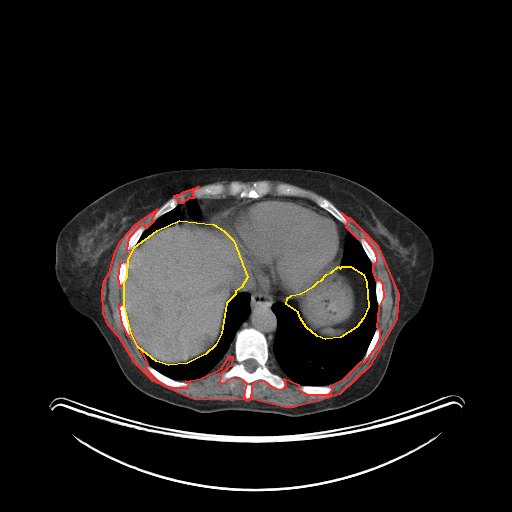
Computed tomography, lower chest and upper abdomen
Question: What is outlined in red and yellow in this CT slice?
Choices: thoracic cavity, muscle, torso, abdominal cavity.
Answer: red: muscle; yellow: abdominal cavity.
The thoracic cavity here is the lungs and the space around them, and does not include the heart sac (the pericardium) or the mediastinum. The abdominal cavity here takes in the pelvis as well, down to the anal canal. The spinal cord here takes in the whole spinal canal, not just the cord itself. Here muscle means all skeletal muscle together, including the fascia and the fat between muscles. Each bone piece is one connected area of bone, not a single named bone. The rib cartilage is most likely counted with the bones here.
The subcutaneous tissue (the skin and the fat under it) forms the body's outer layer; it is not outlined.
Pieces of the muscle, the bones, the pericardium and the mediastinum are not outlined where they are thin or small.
The muscle appears in 2 outlined pieces: piece 1: 157 209; 152 217; 153 221; 146 228; 144 225; 139 226; 128 238; 126 249; 131 250; 131 253; 127 261; 119 264; 117 278; 119 285; 123 285; 123 303; 118 307; 121 323; 126 334; 128 336; 131 334; 147 363; 145 368; 158 381; 168 387; 187 387; 189 383; 185 381; 201 378; 221 368; 229 356; 232 356; 231 365; 221 373; 219 381; 222 383; 233 377; 242 379; 246 383; 243 395; 246 400; 251 397; 253 382; 263 380; 274 388; 282 389; 286 385; 284 378; 298 384; 297 388; 306 394; 329 394; 333 389; 330 385; 344 378; 361 361; 364 362; 376 346; 380 337; 380 329; 377 327; 379 307; 384 297; 383 284; 380 280; 376 280; 373 271; 373 265; 377 261; 376 253; 365 238; 358 239; 346 227; 348 221; 342 213; 349 217; 377 245; 398 294; 396 319; 369 366; 339 394; 294 407; 284 407; 257 400; 193 399; 153 381; 134 362; 119 337; 108 325; 103 313; 102 291; 104 280; 109 273; 115 251; 121 240; 135 224; piece 2: 196 187; 199 187; 197 187; 192 191; 192 194; 194 197; 193 198; 188 198; 182 203; 180 203; 180 201; 175 196; 173 196; 174 196; 177 194; 179 194; 184 191; 186 191; 187 190; 189 190; 190 189; 192 189; 193 188; 195 188. The abdominal cavity appears in 2 outlined pieces: piece 1: 179 220; 213 224; 223 230; 233 240; 247 277; 241 287; 235 291; 235 294; 226 303; 221 333; 215 345; 205 354; 187 363; 168 365; 156 361; 138 347; 131 333; 124 305; 124 283; 127 276; 128 260; 134 247; 157 230; piece 2: 338 266; 340 268; 342 266; 350 266; 363 274; 366 282; 368 306; 363 318; 356 327; 340 337; 325 339; 317 336; 306 327; 300 318; 298 312; 286 304; 287 298; 291 295; 300 293; 313 286; 318 281; 321 280; 326 274; 331 272. The pericardium is outlined by 263 199; 285 199; 309 204; 327 213; 339 226; 341 250; 339 252; 337 266; 326 273; 313 285; 300 292; 285 296; 271 294; 263 289; 252 278; 246 276; 248 275; 234 240; 223 229; 219 228; 212 222; 212 216; 214 214; 233 205. The torso is outlined by 193 168; 301 168; 333 173; 367 187; 425 232; 434 264; 423 304; 399 333; 385 374; 369 395; 344 407; 296 417; 245 410; 206 413; 151 397; 125 377; 96 325; 75 311; 62 291; 54 267; 56 240; 75 214; 113 188; 146 175. The mediastinum appears in 3 outlined pieces: piece 1: 248 278; 252 279; 268 294; 279 297; 288 296; 286 298; 286 303; 276 301; 271 306; 271 310; 277 322; 272 343; 272 351; 270 351; 268 341; 261 331; 254 327; 239 329; 251 311; 250 295; 247 292; 236 293; 236 291; 242 287; piece 2: 268 194; 307 198; 327 212; 299 200; 263 198; 233 204; 218 211; 211 216; 212 223; 181 219; 183 216; 181 206; 184 202; 187 206; 187 213; 189 216; 193 218; 200 217; 199 208; 195 203; 194 198; 237 196; 240 198; 258 199; piece 3: 334 218; 343 224; 345 227; 349 230; 347 231; 344 239; 344 247; 343 248; 343 253; 340 260; 340 263; 341 264; 341 266; 340 267; 338 264; 340 259; 340 252; 342 250; 342 240; 341 239; 341 235; 340 234; 340 226. The bones appear in 11 outlined pieces: piece 1: 244 328; 254 328; 264 335; 268 344; 270 368; 285 381; 282 388; 277 388; 263 379; 257 379; 250 384; 251 394; 248 399; 244 397; 247 383; 242 378; 233 376; 222 382; 220 381; 222 373; 227 371; 234 361; 232 357; 236 333; inner edge: 247 359; 253 359; 254 360; 255 360; 258 363; 258 366; 254 370; 254 371; 253 371; 252 372; 249 372; 248 371; 247 371; 245 369; 245 368; 244 367; 244 365; 243 364; 243 361; 244 361; 245 360; 246 360; piece 2: 262 180; 267 180; 274 185; 289 184; 329 200; 345 217; 347 224; 342 223; 307 197; 278 195; 273 192; 258 198; 240 197; 225 193; 216 197; 195 197; 193 191; 208 184; 220 183; 227 185; 232 181; 236 181; 250 186; 254 182; piece 3: 147 365; 149 365; 161 374; 171 379; 173 379; 177 381; 184 381; 188 383; 188 385; 187 386; 181 386; 180 387; 173 387; 172 386; 168 386; 161 381; 158 380; 154 376; 153 376; 148 371; 148 370; 146 368; 146 366; piece 4: 300 385; 307 385; 308 386; 326 386; 327 385; 329 385; 331 387; 331 388; 332 389; 331 390; 331 391; 329 393; 326 393; 325 394; 310 394; 309 393; 306 393; 305 392; 304 392; 303 391; 300 390; 298 388; 298 386; 299 386; piece 5: 172 197; 175 197; 179 201; 179 203; 174 208; 173 208; 171 210; 168 211; 166 213; 161 215; 155 220; 154 220; 153 219; 153 217; 154 216; 154 215; 156 213; 156 212; 160 208; 160 207; 161 207; 170 198; 171 198; piece 6: 141 226; 144 226; 145 227; 145 229; 141 234; 141 235; 140 236; 137 243; 133 247; 133 248; 130 250; 128 250; 127 249; 127 243; 128 242; 128 240; 129 239; 129 238; 134 232; 134 231; 135 231; 139 227; 140 227; piece 7: 361 238; 363 238; 365 239; 365 240; 370 245; 370 246; 374 251; 375 253; 375 255; 376 256; 376 261; 375 263; 373 264; 371 262; 368 256; 366 254; 361 243; 359 241; 359 240; piece 8: 377 328; 378 328; 379 329; 379 337; 377 340; 377 342; 376 343; 375 346; 373 348; 372 351; 368 356; 368 357; 364 361; 363 361; 362 360; 362 359; 363 358; 363 357; 368 348; 368 346; 373 337; 373 335; 375 332; 375 330; piece 9: 122 304; 123 304; 123 305; 125 307; 125 313; 127 316; 127 321; 129 325; 129 330; 130 331; 130 335; 128 335; 127 334; 125 330; 125 328; 122 323; 121 318; 119 315; 119 307; 120 305; piece 10: 122 262; 127 262; 127 268; 126 269; 126 276; 125 277; 125 280; 124 281; 124 282; 123 283; 123 284; 122 285; 120 285; 120 284; 119 283; 119 279; 118 278; 118 273; 119 272; 119 266; 120 265; 120 264; piece 11: 377 280; 378 280; 379 281; 380 281; 381 282; 381 283; 382 284; 382 287; 383 288; 383 297; 382 298; 382 301; 381 302; 381 304; 379 306; 378 305; 378 304; 377 303; 377 298; 376 297; 376 281. The spinal cord is outlined by 247 359; 253 359; 254 360; 255 360; 258 363; 258 366; 254 370; 254 371; 253 371; 252 372; 249 372; 248 371; 247 371; 245 369; 245 368; 244 367; 244 365; 243 364; 243 361; 244 361; 245 360; 246 360. The thoracic cavity appears in 4 outlined pieces: piece 1: 348 231; 358 240; 372 265; 378 306; 376 328; 361 360; 344 377; 326 385; 299 384; 274 371; 270 362; 278 325; 272 306; 276 302; 289 306; 297 312; 310 332; 325 340; 340 338; 356 328; 364 318; 369 302; 364 274; 341 263; piece 2: 238 293; 247 293; 249 295; 250 311; 235 333; 233 341; 233 355; 229 355; 226 362; 221 367; 195 379; 177 380; 161 373; 148 364; 140 350; 156 362; 168 366; 187 364; 209 352; 216 345; 222 333; 227 303; 230 298; piece 3: 179 204; 181 204; 180 209; 182 214; 182 216; 180 219; 175 221; 171 224; 165 225; 163 227; 161 227; 159 229; 157 229; 148 235; 142 241; 141 241; 140 243; 138 243; 144 231; 154 221; 161 216; 166 214; 168 212; 174 209; piece 4: 188 199; 194 199; 193 200; 194 201; 194 203; 196 205; 196 206; 198 208; 198 213; 199 214; 199 217; 193 217; 191 215; 189 215; 189 214; 188 213; 188 206; 187 205; 187 204; 185 202.